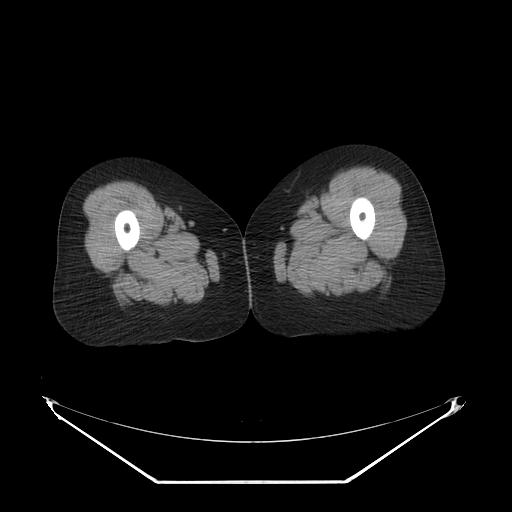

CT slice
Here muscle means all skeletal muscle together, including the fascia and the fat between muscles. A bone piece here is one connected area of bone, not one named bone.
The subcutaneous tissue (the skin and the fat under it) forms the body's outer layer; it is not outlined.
The muscle appears in 2 outlined pieces: piece 1: (351, 165) (370, 165) (382, 169) (389, 172) (400, 183) (402, 209) (407, 219) (403, 246) (395, 259) (391, 270) (391, 283) (383, 298) (337, 303) (314, 302) (290, 293) (276, 281) (272, 262) (273, 251) (293, 220) (297, 209) (306, 198) (338, 170) (346, 169), around a hole outlined by (361, 196) (363, 196) (367, 198) (372, 203) (374, 208) (374, 211) (375, 212) (375, 223) (374, 224) (374, 227) (369, 236) (364, 240) (359, 238) (354, 233) (352, 230) (352, 228) (350, 224) (350, 221) (349, 220) (349, 210) (350, 209) (351, 204) (357, 197) (360, 197); piece 2: (114, 180) (130, 180) (146, 187) (160, 202) (177, 212) (187, 226) (215, 252) (220, 268) (220, 279) (209, 297) (187, 310) (144, 308) (127, 308) (124, 310) (117, 305) (112, 290) (107, 282) (95, 272) (85, 250) (84, 235) (88, 221) (82, 209) (85, 197) (93, 189); inner edge: (123, 209) (129, 209) (133, 211) (139, 223) (139, 239) (137, 243) (135, 245) (135, 246) (134, 246) (129, 250) (124, 250) (119, 245) (117, 241) (117, 239) (115, 235) (115, 231) (114, 230) (114, 220) (115, 219) (115, 217) (117, 213) (119, 211). The right leg is outlined by (118, 155) (144, 156) (169, 166) (234, 219) (242, 233) (250, 290) (250, 311) (245, 322) (238, 329) (227, 335) (200, 342) (175, 340) (156, 345) (94, 347) (77, 341) (60, 326) (52, 308) (52, 285) (56, 264) (57, 226) (63, 199) (70, 185) (84, 170) (100, 160). The bones appear in 2 outlined pieces: piece 1: (361, 196) (363, 196) (367, 198) (372, 203) (374, 208) (374, 211) (375, 212) (375, 223) (374, 224) (374, 227) (369, 236) (364, 240) (359, 238) (354, 233) (352, 230) (352, 228) (350, 224) (350, 221) (349, 220) (349, 210) (350, 209) (351, 204) (357, 197) (360, 197); piece 2: (123, 209) (129, 209) (133, 211) (139, 223) (139, 239) (137, 243) (135, 245) (135, 246) (134, 246) (129, 250) (124, 250) (119, 245) (117, 241) (117, 239) (115, 235) (115, 231) (114, 230) (114, 220) (115, 219) (115, 217) (117, 213) (119, 211). The left leg is outlined by (353, 142) (375, 144) (392, 151) (409, 165) (422, 185) (430, 204) (446, 271) (446, 290) (442, 303) (425, 325) (399, 334) (337, 339) (319, 339) (311, 336) (286, 337) (274, 334) (263, 328) (251, 312) (251, 290) (243, 238) (247, 222) (268, 192) (295, 166) (323, 149).